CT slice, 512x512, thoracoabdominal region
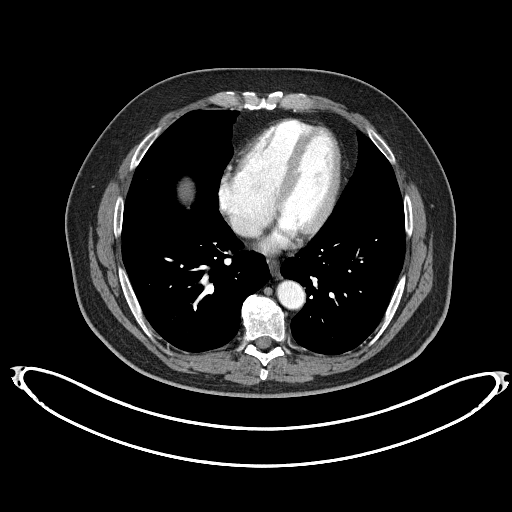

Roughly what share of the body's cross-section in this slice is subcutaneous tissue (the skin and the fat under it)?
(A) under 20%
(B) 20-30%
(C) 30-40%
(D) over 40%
Answer: (B) 20-30%
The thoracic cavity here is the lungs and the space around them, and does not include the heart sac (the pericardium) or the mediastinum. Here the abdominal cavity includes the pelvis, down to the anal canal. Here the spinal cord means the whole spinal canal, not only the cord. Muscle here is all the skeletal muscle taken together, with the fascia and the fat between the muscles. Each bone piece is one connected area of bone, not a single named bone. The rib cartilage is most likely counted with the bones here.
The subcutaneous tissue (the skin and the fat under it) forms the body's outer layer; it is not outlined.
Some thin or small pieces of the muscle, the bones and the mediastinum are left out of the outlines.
Outlined structures:
torso: [[252,398],[324,393],[383,375],[415,358],[447,313],[456,224],[445,172],[408,114],[378,88],[349,75],[311,68],[220,67],[160,80],[132,98],[104,128],[82,162],[68,196],[64,227],[74,290],[84,319],[100,340],[126,364],[158,381],[202,393]]
abdominal cavity: [[185,208],[189,208],[191,206],[191,205],[194,200],[194,198],[195,197],[195,184],[194,183],[193,180],[192,180],[189,176],[183,176],[178,181],[178,182],[177,183],[177,185],[176,186],[176,196],[177,197],[177,199],[178,200],[179,203]]
spinal cord: [[261,350],[266,350],[267,349],[270,348],[272,346],[272,345],[273,344],[273,342],[272,341],[271,338],[270,338],[267,336],[263,336],[262,337],[260,337],[259,338],[258,338],[255,341],[255,344],[256,345],[257,348],[258,349],[260,349]]
mediastinum 1: [[346,183],[353,171],[357,157],[356,131],[359,129],[351,122],[337,114],[323,110],[302,112],[279,108],[274,110],[238,110],[239,115],[233,124],[233,149],[254,127],[267,119],[280,115],[303,115],[321,119],[331,125],[340,134],[346,146],[350,162]]
mediastinum 2: [[286,321],[289,321],[290,318],[299,310],[304,302],[305,296],[303,288],[297,282],[286,279],[281,275],[280,266],[285,258],[293,256],[299,250],[291,254],[286,254],[274,258],[265,256],[270,271],[270,278],[265,285],[255,293],[272,298],[284,311]]
pericardium: [[273,257],[296,251],[314,235],[333,208],[345,183],[347,171],[349,169],[345,146],[339,134],[331,126],[321,120],[303,116],[286,115],[272,118],[260,124],[238,144],[234,150],[230,163],[221,178],[219,188],[219,210],[221,214],[246,246],[264,255]]
bones 1: [[262,380],[265,380],[267,377],[266,364],[274,357],[291,353],[291,349],[294,348],[295,345],[287,334],[284,313],[281,308],[268,297],[252,294],[249,295],[242,304],[241,317],[243,331],[240,342],[235,350],[253,355],[261,362],[262,367],[259,376]] with a hole at [[261,350],[266,350],[267,349],[270,348],[272,346],[272,345],[273,344],[273,342],[272,341],[271,338],[270,338],[267,336],[263,336],[262,337],[260,337],[259,338],[258,338],[255,341],[255,344],[256,345],[257,348],[258,349],[260,349]]
bones 2: [[293,111],[309,110],[314,105],[314,102],[307,94],[302,92],[285,93],[282,91],[275,91],[269,93],[266,96],[260,97],[252,91],[242,91],[238,94],[235,91],[229,90],[217,92],[209,98],[212,104],[223,108],[274,109],[279,107],[291,109]]
bones 3: [[153,342],[155,342],[155,338],[156,337],[159,339],[162,339],[162,338],[154,331],[150,324],[144,317],[124,268],[121,266],[118,266],[118,275],[119,276],[121,287],[122,288],[124,296],[126,299],[126,301],[136,321],[141,327],[143,331]]
bones 4: [[369,346],[373,344],[381,335],[391,320],[399,304],[401,296],[403,293],[403,290],[405,285],[405,280],[406,279],[405,274],[401,275],[399,278],[391,297],[390,302],[384,314],[384,316],[380,323],[375,329],[374,335],[370,338],[367,343]]
bones 5: [[130,170],[133,170],[138,165],[148,148],[163,130],[162,126],[159,125],[153,130],[149,132],[140,142],[136,150],[134,152],[134,154],[132,156],[132,158],[130,162],[130,165],[129,166],[129,169]]
bones 6: [[392,165],[395,163],[395,158],[393,155],[393,153],[389,148],[388,145],[385,142],[385,141],[371,127],[369,126],[366,126],[365,127],[365,131],[366,132],[366,134],[374,143],[374,144],[379,149],[379,150],[385,156],[385,157],[388,160],[388,161]]
bones 7: [[116,238],[118,238],[120,237],[120,235],[121,234],[121,225],[122,224],[122,219],[123,218],[123,205],[124,204],[124,199],[120,195],[118,195],[117,196],[117,198],[115,202],[115,206],[114,207],[114,214],[113,215],[113,230],[114,231],[114,235]]
bones 8: [[406,239],[410,237],[411,235],[411,232],[412,231],[412,227],[413,226],[413,221],[412,220],[412,205],[411,204],[411,200],[410,199],[410,196],[408,193],[405,193],[403,196],[403,207],[404,208],[404,227],[405,228],[405,232],[406,233]]
thoracic cavity 1: [[187,352],[207,351],[234,341],[242,331],[240,308],[243,300],[269,278],[264,256],[246,249],[218,210],[219,182],[233,152],[232,124],[238,115],[237,110],[198,109],[172,123],[134,170],[125,198],[121,235],[124,267],[143,313],[155,331],[171,345]]; inner edge: [[185,208],[189,208],[191,206],[191,205],[194,200],[194,198],[195,197],[195,184],[194,183],[193,180],[192,180],[189,176],[183,176],[178,181],[178,182],[177,183],[177,185],[176,186],[176,196],[177,197],[177,199],[178,200],[179,203]]
thoracic cavity 2: [[330,355],[355,349],[373,332],[389,302],[405,253],[402,197],[394,172],[384,156],[360,130],[357,131],[357,163],[334,208],[308,244],[293,257],[285,259],[281,266],[282,275],[297,281],[304,288],[306,296],[300,310],[286,322],[288,334],[295,344]]
muscle 1: [[243,385],[261,381],[258,376],[261,364],[255,357],[234,350],[241,335],[221,348],[187,353],[164,340],[156,338],[153,343],[137,324],[125,301],[117,275],[117,266],[123,266],[120,238],[116,239],[113,235],[112,215],[116,196],[120,194],[124,198],[127,192],[133,173],[128,166],[139,142],[122,160],[107,184],[99,204],[96,227],[89,231],[88,255],[93,285],[116,319],[170,368],[185,373],[222,374],[225,379]], around a hole outlined by [[169,355],[172,355],[173,354],[173,352],[170,349],[170,348],[169,347],[169,346],[167,346],[165,348],[164,348],[163,347],[161,347],[160,346],[160,348],[165,353],[166,353],[167,354],[168,354]]
muscle 2: [[291,383],[309,381],[315,375],[346,371],[373,356],[401,329],[432,287],[432,234],[428,236],[426,233],[424,205],[417,186],[389,145],[396,158],[396,163],[392,166],[402,196],[408,192],[413,205],[414,226],[411,237],[406,240],[405,259],[400,274],[405,273],[407,276],[400,304],[387,328],[370,347],[366,343],[374,332],[355,350],[345,354],[322,355],[296,345],[291,354],[272,359],[266,366],[268,370],[266,380]]
muscle 3: [[385,140],[376,130],[374,126],[363,115],[357,112],[350,111],[343,104],[333,101],[326,97],[314,95],[313,94],[308,94],[315,102],[314,107],[310,110],[323,109],[337,113],[351,121],[352,123],[355,124],[365,133],[364,127],[366,125],[369,125]]
muscle 4: [[146,134],[159,124],[163,126],[164,130],[172,122],[177,119],[181,115],[190,110],[197,109],[198,108],[213,108],[214,107],[217,107],[212,105],[209,102],[208,98],[211,95],[198,99],[179,108],[171,110],[166,113],[160,118],[155,125],[150,128]]